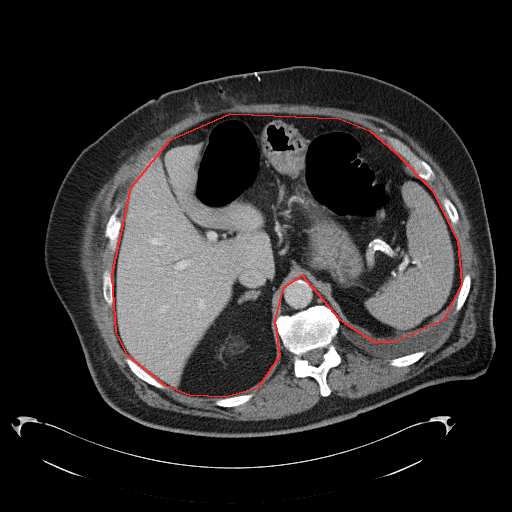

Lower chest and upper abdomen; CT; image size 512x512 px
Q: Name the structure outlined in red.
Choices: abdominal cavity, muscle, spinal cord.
A: red: abdominal cavity.
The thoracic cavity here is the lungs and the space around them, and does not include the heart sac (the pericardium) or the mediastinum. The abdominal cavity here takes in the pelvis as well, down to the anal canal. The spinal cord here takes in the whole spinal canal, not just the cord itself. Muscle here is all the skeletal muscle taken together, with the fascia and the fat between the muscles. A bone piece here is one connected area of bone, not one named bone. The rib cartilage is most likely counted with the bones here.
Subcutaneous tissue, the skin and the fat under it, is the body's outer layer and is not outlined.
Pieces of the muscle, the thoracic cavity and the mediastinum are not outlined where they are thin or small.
The abdominal cavity is outlined by (230, 113) (339, 118) (369, 130) (395, 152) (431, 189) (457, 240) (461, 283) (443, 320) (394, 342) (374, 342) (340, 320) (302, 275) (282, 288) (274, 320) (279, 356) (257, 388) (225, 397) (189, 395) (166, 386) (128, 356) (116, 332) (112, 275) (131, 187) (170, 139). The thoracic cavity is outlined by (456, 298) (454, 316) (445, 333) (435, 345) (401, 356) (393, 358) (375, 357) (364, 353) (354, 347) (346, 339) (342, 331) (342, 327) (340, 327) (341, 321) (350, 330) (366, 340) (374, 343) (394, 343) (435, 327) (444, 320) (446, 314) (448, 313) (448, 310) (450, 309). The bones appear in 9 outlined pieces: piece 1: (314, 305) (326, 305) (331, 308) (340, 324) (332, 343) (341, 357) (341, 362) (331, 367) (327, 372) (326, 383) (331, 391) (328, 396) (320, 394) (319, 384) (313, 377) (305, 376) (297, 378) (294, 375) (294, 356) (284, 347) (276, 327) (276, 320) (279, 316) (292, 315); inner edge: (316, 348) (321, 348) (324, 350) (324, 352) (322, 355) (322, 360) (318, 364) (317, 364) (316, 365) (315, 365) (314, 364) (310, 364) (309, 363) (309, 362) (306, 359) (305, 359) (303, 357) (303, 355) (306, 352) (307, 352) (310, 350) (312, 350) (313, 349) (315, 349); piece 2: (379, 134) (385, 134) (386, 135) (392, 136) (394, 138) (396, 138) (406, 144) (419, 158) (426, 162) (430, 166) (434, 172) (435, 177) (432, 180) (425, 180) (419, 177) (417, 175) (414, 168) (410, 162) (406, 159) (405, 157) (394, 150) (388, 144) (388, 143) (379, 135); piece 3: (119, 204) (121, 204) (122, 205) (121, 206) (121, 210) (122, 211) (122, 220) (121, 221) (121, 227) (119, 232) (119, 237) (117, 241) (117, 246) (116, 247) (115, 252) (113, 253) (108, 247) (108, 239) (105, 235) (105, 229) (106, 228) (106, 224) (111, 214); piece 4: (127, 357) (129, 357) (136, 364) (137, 364) (148, 374) (149, 374) (156, 380) (157, 380) (159, 382) (163, 384) (166, 387) (167, 387) (167, 388) (158, 388) (153, 385) (151, 385) (149, 384) (144, 380) (138, 377) (130, 369) (130, 368) (126, 363) (125, 361) (125, 358); piece 5: (249, 393) (252, 393) (252, 396) (251, 398) (248, 401) (236, 406) (232, 406) (231, 407) (223, 407) (222, 406) (216, 405) (214, 403) (215, 400) (218, 398) (225, 398) (226, 397) (231, 397) (232, 396) (236, 396) (237, 395) (241, 395) (242, 394) (248, 394); piece 6: (106, 269) (109, 270) (110, 272) (110, 274) (111, 275) (111, 277) (112, 278) (112, 284) (113, 285) (113, 305) (112, 306) (109, 306) (107, 302) (105, 300) (104, 298) (104, 296) (103, 295) (103, 290) (102, 289) (102, 276) (103, 275) (103, 273) (104, 271); piece 7: (420, 350) (425, 350) (425, 353) (417, 361) (409, 365) (406, 365) (405, 366) (392, 366) (390, 365) (388, 362) (388, 360) (390, 359) (393, 359) (394, 358) (401, 357) (402, 356) (404, 356) (408, 354) (411, 354) (412, 353) (414, 353); piece 8: (466, 274) (469, 274) (470, 275) (470, 278) (471, 279) (470, 289) (463, 305) (458, 311) (456, 311) (455, 308) (456, 307) (456, 304) (457, 303) (457, 297) (458, 296) (458, 293) (459, 292) (459, 290) (460, 289) (460, 287) (461, 286) (463, 278); piece 9: (445, 197) (448, 198) (451, 201) (451, 202) (456, 208) (456, 210) (457, 211) (457, 213) (458, 214) (458, 221) (456, 223) (452, 223) (451, 222) (451, 221) (446, 212) (446, 210) (444, 208) (444, 206) (442, 204) (442, 202) (441, 201) (442, 200) (442, 199). The muscle appears in 2 outlined pieces: piece 1: (240, 103) (306, 104) (374, 115) (397, 126) (432, 157) (466, 210) (476, 246) (479, 270) (479, 287) (474, 303) (476, 330) (465, 346) (418, 374) (379, 391) (359, 398) (329, 396) (332, 391) (327, 383) (328, 372) (342, 362) (333, 343) (341, 327) (345, 339) (364, 354) (388, 358) (392, 367) (409, 366) (446, 333) (455, 312) (467, 299) (471, 275) (466, 273) (462, 280) (458, 240) (425, 181) (432, 181) (435, 172) (406, 143) (392, 135) (379, 133) (387, 144) (369, 129) (329, 115) (230, 112) (202, 120) (166, 141) (136, 175) (123, 215) (123, 205) (119, 203) (105, 224) (107, 247) (114, 257) (112, 274) (107, 268) (102, 273) (101, 289) (107, 305) (113, 307) (117, 339) (127, 355) (124, 361) (138, 378) (151, 386) (194, 397) (217, 398) (213, 402) (216, 406) (231, 408) (248, 402) (253, 393) (247, 393) (259, 388) (272, 375) (280, 356) (280, 339) (293, 356) (293, 375) (297, 379) (313, 378) (318, 384) (319, 394) (327, 397) (307, 410) (276, 419) (229, 420) (153, 407) (135, 394) (108, 354) (87, 306) (80, 269) (85, 214) (95, 193) (109, 176) (148, 140) (193, 112), around a hole outlined by (445, 197) (448, 198) (451, 201) (451, 202) (456, 208) (456, 210) (457, 211) (457, 213) (458, 214) (458, 221) (456, 223) (452, 223) (451, 222) (451, 221) (446, 212) (446, 210) (444, 208) (444, 206) (442, 204) (442, 202) (441, 201) (442, 200) (442, 199); piece 2: (397, 153) (398, 153) (400, 155) (401, 155) (404, 158) (405, 158) (405, 159) (406, 160) (407, 160) (409, 162) (409, 163) (411, 165) (411, 166) (413, 168) (413, 169) (414, 170) (414, 171) (415, 172) (415, 173) (407, 165) (407, 164) (404, 161) (404, 160). The torso is outlined by (293, 65) (355, 71) (395, 84) (431, 105) (457, 132) (479, 176) (495, 258) (491, 359) (485, 372) (473, 379) (427, 386) (353, 418) (300, 432) (224, 438) (142, 425) (113, 409) (98, 393) (74, 327) (48, 279) (44, 238) (57, 190) (82, 149) (149, 99) (198, 81). The spinal cord is outlined by (316, 348) (321, 348) (324, 350) (324, 352) (322, 355) (322, 360) (318, 364) (317, 364) (316, 365) (315, 365) (314, 364) (310, 364) (309, 363) (309, 362) (306, 359) (305, 359) (303, 357) (303, 355) (306, 352) (307, 352) (310, 350) (312, 350) (313, 349) (315, 349). The mediastinum is outlined by (302, 276) (305, 276) (310, 280) (314, 286) (319, 291) (324, 299) (333, 307) (333, 309) (326, 304) (314, 304) (304, 309) (299, 310) (292, 314) (281, 314) (279, 315) (281, 309) (281, 297) (283, 292) (283, 288) (285, 284) (291, 279) (293, 279) (296, 277) (301, 277).